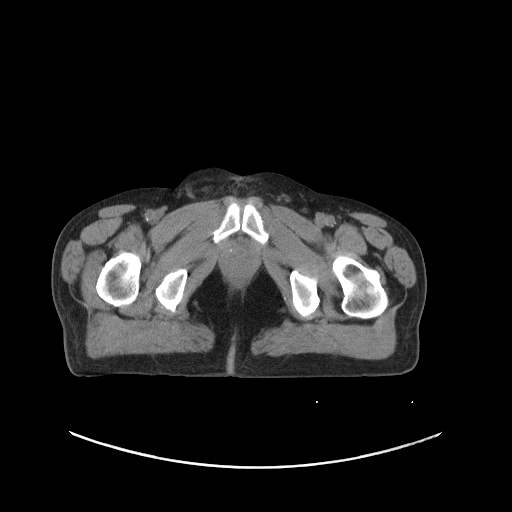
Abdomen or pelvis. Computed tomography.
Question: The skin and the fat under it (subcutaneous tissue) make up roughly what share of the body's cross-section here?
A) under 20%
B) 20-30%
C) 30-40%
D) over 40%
Answer: C) 30-40%
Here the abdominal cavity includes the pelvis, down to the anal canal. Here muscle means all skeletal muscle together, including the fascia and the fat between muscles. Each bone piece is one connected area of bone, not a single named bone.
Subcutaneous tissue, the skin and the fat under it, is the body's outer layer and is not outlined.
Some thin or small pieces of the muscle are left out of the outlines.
{"torso":[[[210,166],[239,174],[281,173],[319,192],[369,204],[402,223],[421,248],[427,278],[415,367],[400,375],[375,377],[72,374],[65,361],[62,328],[51,295],[51,259],[59,232],[73,215],[103,198],[138,187],[171,187],[187,173]]],"muscle":[{"outer":[[247,195],[259,195],[289,207],[325,229],[347,211],[357,210],[378,214],[403,233],[413,253],[416,282],[395,315],[397,344],[394,353],[380,360],[322,353],[253,355],[249,350],[252,337],[267,326],[279,324],[287,315],[281,292],[262,266],[243,295],[230,296],[216,265],[187,303],[190,316],[214,332],[211,350],[88,357],[83,343],[86,310],[70,295],[60,271],[64,244],[81,218],[121,203],[188,204],[216,197]],"holes":[[[231,201],[236,202],[242,209],[248,202],[252,203],[262,218],[264,229],[269,234],[267,242],[263,245],[253,238],[251,239],[255,250],[255,259],[244,279],[240,281],[235,281],[231,278],[222,262],[221,249],[225,240],[215,243],[211,233],[219,226]],[[337,255],[347,255],[350,256],[364,266],[373,268],[379,273],[381,285],[383,287],[388,299],[387,306],[380,315],[372,318],[363,319],[357,317],[351,317],[347,315],[342,310],[341,308],[341,302],[343,297],[343,292],[340,283],[332,270],[332,262]],[[121,251],[129,251],[137,254],[140,257],[142,265],[141,266],[140,276],[139,277],[139,289],[138,290],[136,299],[130,304],[116,307],[106,302],[98,295],[95,288],[95,285],[97,281],[97,278],[101,270],[101,268],[105,262],[109,258],[117,255]],[[293,269],[296,269],[301,274],[308,275],[309,276],[315,276],[317,278],[317,293],[320,300],[319,301],[319,304],[318,306],[309,316],[309,317],[302,317],[298,313],[293,305],[293,303],[292,302],[292,292],[291,291],[291,285],[289,280],[290,273]],[[179,268],[185,268],[186,269],[187,271],[187,278],[186,279],[186,282],[184,287],[183,296],[180,302],[177,305],[175,312],[172,312],[170,310],[164,307],[156,298],[156,296],[155,295],[155,289],[161,282],[162,279],[167,273],[172,271],[175,271]]]}],"bones":[[[337,255],[347,255],[350,256],[364,266],[373,268],[379,273],[381,285],[383,287],[388,299],[387,306],[380,315],[372,318],[363,319],[357,317],[351,317],[347,315],[342,310],[341,308],[341,302],[343,297],[343,292],[340,283],[332,270],[332,262]],[[121,251],[129,251],[137,254],[140,257],[142,265],[141,266],[140,276],[139,277],[139,289],[138,290],[136,299],[130,304],[116,307],[106,302],[98,295],[95,288],[95,285],[97,281],[97,278],[101,270],[101,268],[105,262],[109,258],[117,255]],[[231,201],[236,202],[242,209],[248,202],[254,205],[262,218],[264,229],[269,234],[268,240],[265,244],[263,245],[259,243],[240,229],[226,238],[220,240],[218,243],[215,243],[213,241],[212,239],[213,236],[211,232],[219,226],[226,212],[227,207]],[[293,269],[296,269],[301,274],[308,275],[309,276],[315,276],[317,278],[317,293],[320,300],[319,301],[319,304],[318,306],[309,316],[309,317],[302,317],[298,313],[293,305],[293,303],[292,302],[292,292],[291,291],[291,285],[289,280],[290,273]],[[179,268],[185,268],[186,269],[187,271],[187,278],[186,279],[186,282],[184,287],[183,296],[180,302],[177,305],[175,312],[172,312],[170,310],[164,307],[156,298],[156,296],[155,295],[155,289],[161,282],[162,279],[167,273],[172,271],[175,271]]],"abdominal_cavity":[[[237,232],[239,233],[241,233],[242,232],[249,236],[251,239],[253,247],[255,250],[255,259],[254,260],[254,262],[249,269],[244,279],[240,281],[235,281],[231,278],[225,266],[222,262],[222,258],[221,257],[221,249],[225,240],[228,237]]]}